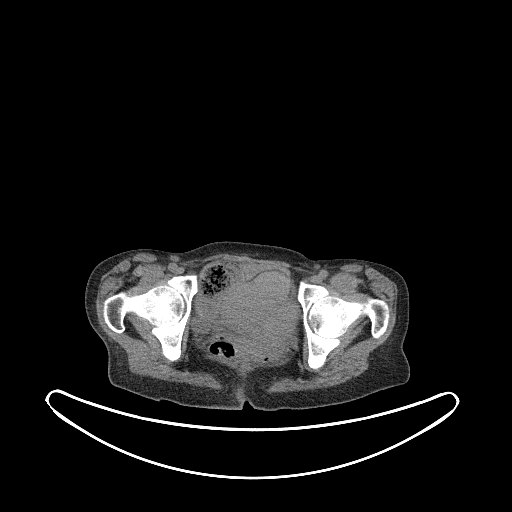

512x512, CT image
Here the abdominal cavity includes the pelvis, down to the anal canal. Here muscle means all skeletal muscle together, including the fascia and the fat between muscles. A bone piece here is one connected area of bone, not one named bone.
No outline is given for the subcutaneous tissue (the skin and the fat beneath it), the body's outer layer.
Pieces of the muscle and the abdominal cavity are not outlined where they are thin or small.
abdominal cavity: 212 259; 226 259; 236 262; 289 267; 301 273; 301 280; 298 282; 296 292; 296 299; 302 310; 301 339; 292 353; 280 361; 263 365; 254 365; 241 370; 229 361; 214 357; 201 347; 197 341; 193 323; 199 290; 198 269; 208 260
muscle: 132 253; 150 253; 154 255; 162 256; 171 260; 178 260; 183 262; 196 258; 204 258; 218 253; 229 253; 239 255; 247 254; 258 259; 280 260; 288 263; 291 261; 294 261; 331 266; 340 266; 344 264; 351 264; 352 263; 359 264; 363 266; 366 265; 374 268; 382 274; 387 276; 396 284; 398 290; 396 304; 396 321; 388 338; 370 353; 369 366; 365 371; 360 375; 343 383; 329 387; 299 391; 268 393; 266 391; 266 389; 274 380; 277 380; 280 377; 291 375; 293 371; 297 368; 296 364; 293 361; 288 362; 280 366; 257 367; 250 371; 245 377; 243 377; 235 369; 232 369; 225 365; 220 365; 217 363; 214 363; 207 359; 204 359; 203 357; 197 357; 197 354; 195 352; 189 354; 190 361; 194 364; 196 368; 214 374; 225 386; 220 390; 209 387; 195 386; 181 382; 160 380; 148 376; 140 376; 132 373; 129 370; 127 356; 125 351; 115 341; 110 340; 100 327; 97 320; 95 307; 98 286; 102 275; 112 268; 120 260; inner edge: 212 259; 294 268; 302 281; 321 285; 346 301; 383 300; 389 308; 387 327; 375 338; 370 319; 360 316; 339 338; 325 363; 314 369; 307 361; 302 320; 301 339; 292 353; 280 361; 241 370; 214 357; 197 341; 193 323; 197 292; 183 330; 181 354; 171 361; 162 354; 152 325; 133 312; 124 316; 124 331; 113 331; 104 320; 103 302; 121 291; 144 293; 173 276; 197 275
torso: 216 241; 281 246; 318 260; 363 259; 396 270; 409 293; 409 323; 403 342; 410 367; 407 382; 345 403; 274 411; 255 409; 247 402; 239 410; 190 407; 152 400; 111 384; 106 347; 84 307; 85 286; 93 268; 126 250; 182 252
bones 1: 194 274; 197 275; 198 290; 191 301; 178 359; 171 361; 162 354; 161 344; 151 332; 152 325; 133 312; 124 316; 125 330; 121 333; 113 331; 106 324; 102 313; 106 298; 121 291; 128 295; 141 294; 164 284; 173 276
bones 2: 300 281; 321 285; 331 295; 346 301; 364 302; 368 297; 385 301; 389 308; 385 331; 379 337; 373 337; 371 321; 362 315; 339 338; 340 343; 328 353; 325 363; 317 369; 311 368; 307 361; 308 344; 303 326; 303 310; 297 299